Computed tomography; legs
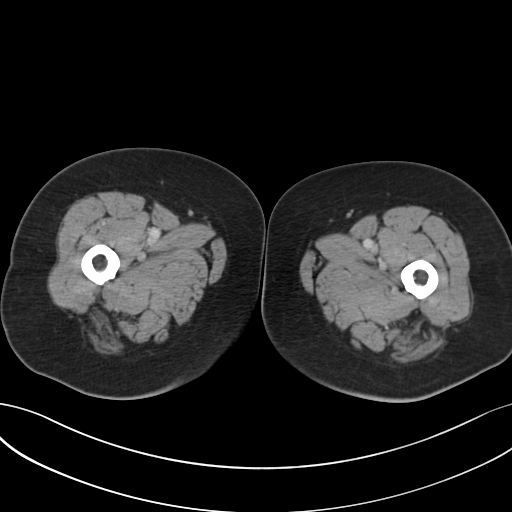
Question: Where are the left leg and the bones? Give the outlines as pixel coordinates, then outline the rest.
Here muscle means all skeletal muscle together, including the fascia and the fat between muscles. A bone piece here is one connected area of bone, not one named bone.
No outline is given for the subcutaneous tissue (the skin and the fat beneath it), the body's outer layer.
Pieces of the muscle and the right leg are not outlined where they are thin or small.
Answer: Outlines (x, y in pixels):
left leg: [[371,160],[420,162],[460,177],[486,199],[511,239],[511,355],[500,364],[460,384],[417,401],[388,402],[368,399],[331,389],[310,379],[278,353],[267,336],[261,317],[260,294],[265,266],[266,231],[271,211],[279,197],[294,183],[312,173],[342,164]]
bones 1: [[97,243],[103,243],[109,246],[118,255],[119,259],[120,260],[120,265],[119,266],[119,268],[116,272],[115,277],[112,279],[107,280],[102,285],[98,285],[86,277],[86,276],[82,272],[81,270],[81,266],[80,265],[81,258],[84,253],[90,247]]
bones 2: [[420,258],[424,259],[432,264],[436,269],[437,273],[438,274],[438,284],[436,288],[428,296],[423,299],[418,299],[414,295],[406,291],[403,285],[403,283],[401,281],[401,279],[400,278],[400,272],[401,270],[410,262],[414,260],[419,259]]
right leg: [[123,147],[176,149],[219,163],[249,186],[261,205],[265,222],[268,222],[261,290],[249,322],[225,355],[199,377],[166,392],[136,399],[106,399],[81,393],[35,373],[19,360],[11,349],[0,322],[0,290],[16,228],[28,204],[43,184],[76,160]]
muscle 1: [[110,190],[150,196],[178,215],[202,219],[206,216],[223,237],[227,250],[221,277],[197,303],[188,322],[161,343],[124,351],[119,355],[100,354],[85,346],[78,323],[52,302],[46,286],[48,273],[56,260],[55,238],[58,226],[68,206],[86,194]] with a hole at [[97,243],[103,243],[109,246],[118,255],[119,259],[120,260],[120,265],[119,266],[119,268],[116,272],[115,277],[112,279],[107,280],[102,285],[98,285],[86,277],[86,276],[82,272],[81,270],[81,266],[80,265],[81,258],[84,253],[90,247]]
muscle 2: [[408,204],[442,212],[462,235],[470,261],[469,278],[474,293],[474,307],[467,320],[451,327],[447,343],[432,359],[406,364],[378,363],[355,355],[341,341],[316,300],[304,289],[300,281],[299,263],[309,241],[318,236],[337,231],[346,232],[364,215]]; inner edge: [[420,258],[424,259],[432,264],[436,269],[437,273],[438,274],[438,284],[436,288],[428,296],[423,299],[418,299],[414,295],[406,291],[403,285],[403,283],[401,281],[401,279],[400,278],[400,272],[401,270],[410,262],[414,260],[419,259]]